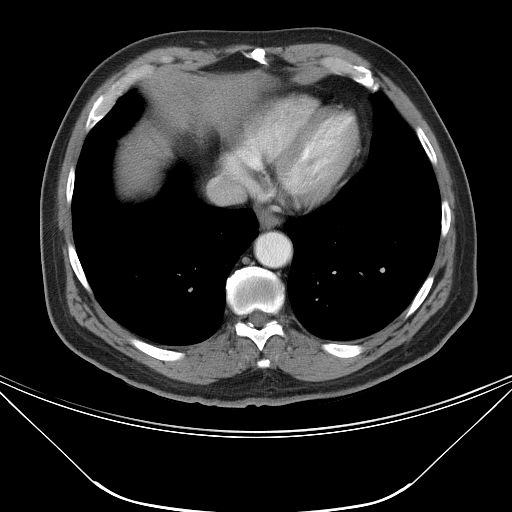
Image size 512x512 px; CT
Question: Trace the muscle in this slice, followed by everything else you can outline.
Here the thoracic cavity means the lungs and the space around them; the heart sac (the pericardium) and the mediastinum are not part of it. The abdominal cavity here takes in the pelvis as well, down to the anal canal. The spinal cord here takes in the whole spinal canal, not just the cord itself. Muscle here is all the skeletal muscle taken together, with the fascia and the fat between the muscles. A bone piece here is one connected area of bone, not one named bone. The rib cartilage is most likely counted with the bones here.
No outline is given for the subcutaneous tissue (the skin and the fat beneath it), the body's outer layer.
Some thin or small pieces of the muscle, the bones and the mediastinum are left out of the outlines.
Answer: {"muscle":[{"outer":[[316,42],[352,50],[388,76],[409,97],[435,135],[455,194],[452,286],[445,303],[408,341],[347,375],[321,381],[263,369],[270,366],[270,360],[261,357],[256,361],[259,368],[244,374],[206,384],[184,382],[124,354],[80,325],[66,303],[56,219],[57,184],[67,145],[94,91],[137,56],[165,46],[256,46],[197,69],[162,69],[143,63],[114,81],[88,112],[84,125],[87,134],[66,178],[65,200],[70,206],[73,236],[73,243],[66,243],[67,256],[81,285],[107,315],[140,338],[130,337],[129,343],[158,360],[180,360],[186,354],[177,350],[211,337],[222,326],[227,307],[237,317],[235,334],[249,338],[262,351],[271,336],[286,336],[277,317],[285,306],[306,331],[327,341],[320,344],[322,350],[351,358],[364,347],[345,343],[379,332],[404,311],[405,319],[416,311],[433,285],[435,278],[430,271],[440,237],[447,235],[451,223],[449,202],[441,199],[432,166],[438,163],[435,150],[424,130],[419,125],[414,130],[411,127],[364,65],[323,56],[318,61],[322,71],[267,55],[263,46]],"hole":[[161,55],[167,55],[168,56],[170,56],[171,57],[172,57],[173,58],[173,60],[171,62],[169,62],[168,63],[165,63],[164,62],[162,62],[161,61],[160,61],[157,58],[157,57],[158,57],[159,56],[160,56]]}],"abdominal_cavity":[[[236,52],[263,65],[269,63],[267,56],[271,55],[323,75],[258,111],[237,143],[204,179],[198,195],[193,190],[191,168],[179,162],[169,170],[153,198],[139,203],[119,201],[112,184],[116,140],[144,109],[138,90],[128,88],[164,68],[197,70]]],"mediastinum":[[[219,163],[253,195],[260,205],[281,215],[305,214],[289,218],[283,227],[293,244],[293,256],[286,285],[273,271],[258,265],[242,266],[230,274],[239,257],[258,235],[259,225],[255,213],[250,208],[218,207],[206,203],[197,196],[201,185],[216,170]],[[324,72],[328,74],[348,76],[355,82],[362,85],[373,93],[371,96],[373,131],[370,138],[369,149],[368,147],[369,130],[367,127],[366,111],[362,105],[362,103],[358,99],[350,95],[325,89],[320,85],[315,85],[314,82],[321,78],[324,75]],[[367,157],[367,163],[365,165],[365,166],[360,170],[359,170],[353,176],[352,176],[342,187],[342,186],[346,182],[346,181],[350,177],[350,176],[351,176],[352,174],[353,174],[356,171],[359,170],[360,168],[362,167],[362,166],[366,161],[366,159]]],"pericardium":[[[307,84],[313,84],[325,90],[350,96],[361,103],[365,111],[366,127],[368,130],[367,156],[361,167],[349,176],[335,195],[327,202],[306,213],[296,215],[281,214],[274,209],[260,204],[243,184],[222,167],[221,158],[238,143],[258,112]]],"torso":[[[305,26],[346,30],[386,47],[412,70],[435,106],[461,159],[473,202],[478,292],[470,315],[431,357],[390,379],[341,397],[277,407],[219,408],[179,402],[98,369],[70,350],[52,327],[40,257],[44,168],[79,86],[110,54],[150,35],[187,29]]],"bones":[{"outer":[[246,266],[258,266],[273,272],[285,286],[284,305],[276,316],[278,322],[283,328],[285,336],[283,337],[278,334],[271,335],[266,340],[262,350],[259,350],[256,344],[249,337],[236,334],[235,324],[238,317],[226,304],[225,286],[227,278],[234,271]],"hole":[[254,310],[259,310],[262,312],[264,312],[265,313],[266,313],[268,315],[268,316],[269,317],[269,319],[264,324],[264,325],[262,327],[255,327],[254,326],[254,325],[250,321],[248,321],[248,320],[247,319],[247,316],[250,313],[251,313]]},[[146,63],[153,64],[157,68],[161,68],[161,71],[152,77],[146,77],[140,79],[130,85],[116,99],[114,104],[108,112],[88,132],[86,132],[85,130],[86,121],[89,112],[95,100],[101,94],[105,93],[114,82],[124,75],[129,70]],[[323,57],[337,57],[346,60],[353,64],[364,66],[372,72],[372,75],[374,80],[379,84],[380,87],[379,89],[377,91],[373,92],[362,84],[355,81],[348,75],[336,74],[335,73],[328,73],[326,72],[320,65],[319,62],[320,59]],[[130,338],[137,338],[143,341],[145,341],[150,344],[152,344],[157,347],[159,347],[163,349],[167,349],[168,350],[181,351],[182,352],[184,352],[185,354],[182,358],[177,360],[162,360],[161,359],[158,359],[138,349],[130,343],[129,341],[129,339]],[[328,342],[336,342],[337,343],[342,343],[343,344],[360,344],[362,345],[363,347],[363,350],[359,354],[357,355],[355,355],[354,356],[352,356],[351,357],[339,357],[338,356],[333,355],[322,349],[321,347],[321,344],[322,343],[327,343]],[[68,242],[70,242],[74,245],[78,259],[80,262],[80,264],[84,272],[85,277],[92,290],[92,293],[89,293],[85,289],[85,288],[82,285],[82,284],[76,276],[72,268],[72,266],[70,263],[69,257],[68,256],[68,250],[67,249],[67,243]],[[429,274],[433,275],[434,279],[433,280],[432,285],[427,295],[420,304],[420,305],[415,310],[415,311],[408,317],[405,318],[404,316],[405,314],[405,310],[409,306],[409,305],[413,300],[414,297],[416,295],[417,292],[419,290],[422,284]],[[416,126],[419,126],[423,130],[424,133],[426,135],[427,138],[429,140],[434,150],[434,152],[435,153],[435,155],[437,159],[437,163],[435,165],[432,165],[430,160],[428,158],[428,156],[426,154],[416,134],[416,132],[415,131],[415,128]],[[443,199],[446,199],[447,200],[447,201],[448,202],[448,205],[449,206],[449,208],[450,209],[450,223],[449,224],[449,228],[448,229],[448,231],[447,232],[447,233],[446,234],[446,235],[444,237],[441,237],[440,236],[440,235],[441,234],[441,201]],[[257,46],[260,46],[264,49],[266,53],[266,56],[269,59],[268,61],[268,63],[267,64],[263,64],[262,63],[260,63],[256,61],[254,59],[252,59],[251,58],[246,57],[242,53],[243,52],[250,52],[255,47]],[[71,166],[74,166],[75,167],[75,172],[74,173],[74,183],[73,184],[73,192],[72,193],[72,197],[71,198],[71,203],[70,204],[70,205],[67,203],[67,201],[66,200],[66,186],[67,185],[67,178],[68,177],[69,170],[70,169],[70,167]]],"thoracic_cavity":[[[130,88],[137,90],[143,109],[115,140],[115,198],[131,204],[153,199],[170,170],[182,163],[192,172],[195,196],[218,208],[250,209],[258,225],[257,235],[225,280],[221,326],[203,341],[176,350],[143,340],[108,315],[74,244],[71,204],[82,146]],[[379,90],[387,95],[396,110],[415,132],[434,172],[441,200],[437,250],[429,273],[408,306],[395,319],[379,331],[355,341],[344,343],[328,341],[306,330],[285,305],[294,244],[284,227],[289,219],[305,215],[327,203],[366,166],[374,131],[372,96]]],"spinal_cord":[[[254,310],[259,310],[262,312],[264,312],[265,313],[266,313],[268,315],[268,316],[269,317],[269,319],[264,324],[264,325],[262,327],[255,327],[254,326],[254,325],[250,321],[248,321],[248,320],[247,319],[247,316],[250,313],[251,313]]]}